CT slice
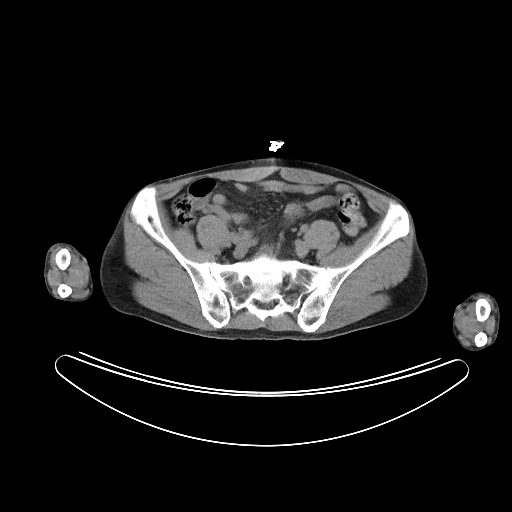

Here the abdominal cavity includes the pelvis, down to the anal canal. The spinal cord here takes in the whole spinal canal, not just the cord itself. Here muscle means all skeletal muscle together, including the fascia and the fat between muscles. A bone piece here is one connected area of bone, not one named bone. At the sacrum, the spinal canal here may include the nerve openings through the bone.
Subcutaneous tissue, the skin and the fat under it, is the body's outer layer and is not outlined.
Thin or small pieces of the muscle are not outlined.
The muscle appears in 6 outlined pieces: piece 1: 272 166; 309 169; 347 179; 393 199; 389 201; 376 232; 353 260; 340 266; 322 266; 319 265; 317 250; 306 243; 303 238; 313 221; 324 219; 333 222; 339 231; 337 243; 351 245; 378 219; 378 214; 370 207; 366 198; 355 187; 343 181; 287 182; 282 179; 281 172; 278 170; 249 182; 237 182; 215 176; 195 178; 186 183; 175 194; 163 202; 170 226; 176 230; 187 230; 191 232; 199 248; 201 245; 197 239; 196 226; 203 216; 212 215; 221 219; 225 222; 229 231; 229 241; 227 244; 213 254; 216 260; 196 261; 185 256; 166 233; 159 214; 156 199; 157 189; 152 185; 168 183; 190 176; 223 170; piece 2: 132 202; 129 214; 133 221; 156 242; 168 250; 186 271; 197 296; 202 316; 215 329; 220 329; 204 330; 194 327; 150 309; 142 305; 135 299; 132 294; 132 283; 134 279; 138 277; 138 275; 125 262; 123 238; 123 220; 125 213; piece 3: 410 219; 413 229; 413 251; 412 252; 411 267; 407 276; 396 286; 391 288; 388 291; 391 297; 391 302; 385 308; 339 328; 320 333; 313 333; 326 321; 329 309; 342 283; 354 270; 368 258; 371 257; 394 241; 405 237; 410 230; piece 4: 57 246; 62 246; 54 256; 55 264; 60 270; 65 270; 71 262; 71 253; 66 247; 69 247; 84 263; 88 273; 85 296; 81 298; 68 297; 73 290; 64 282; 61 282; 56 288; 59 296; 53 293; 47 274; 50 268; 51 253; piece 5: 242 309; 245 309; 248 314; 255 316; 261 321; 264 321; 268 317; 276 318; 282 316; 285 313; 291 314; 296 310; 298 310; 296 314; 296 323; 303 332; 293 330; 273 331; 263 327; 255 329; 222 328; 229 322; 232 311; 235 313; piece 6: 478 295; 484 295; 490 298; 493 303; 495 317; 494 330; 489 342; 487 343; 488 341; 487 334; 483 330; 480 330; 473 337; 474 345; 465 345; 460 338; 460 332; 456 326; 456 316; 460 309; 465 308; 467 304; 472 302; 474 298 with a hole at 478 298; 485 298; 487 300; 487 301; 488 302; 488 303; 490 306; 490 313; 489 314; 488 317; 484 321; 482 321; 481 322; 480 321; 478 321; 477 320; 477 318; 476 317; 476 314; 475 313; 475 303; 476 302; 476 300. The spinal cord appears in 3 outlined pieces: piece 1: 257 302; 258 302; 259 303; 269 303; 270 302; 273 302; 273 306; 271 308; 269 308; 268 309; 266 309; 265 308; 262 308; 261 307; 259 307; 258 306; 258 305; 257 304; piece 2: 285 276; 287 276; 288 277; 289 277; 289 278; 290 279; 290 280; 289 281; 289 282; 288 283; 288 284; 287 284; 286 285; 285 285; 284 284; 283 284; 283 283; 282 282; 282 279; 283 278; 283 277; 284 277; piece 3: 246 277; 247 277; 248 278; 249 278; 249 279; 250 280; 250 281; 249 282; 249 283; 248 283; 247 284; 246 284; 245 283; 244 283; 244 282; 243 281; 243 280; 244 279; 244 278; 245 278. The bones appear in 5 outlined pieces: piece 1: 150 185; 165 233; 196 262; 231 264; 264 252; 322 267; 344 266; 371 241; 391 200; 407 211; 409 230; 348 275; 315 331; 298 325; 298 309; 264 320; 245 308; 232 310; 228 322; 215 328; 202 314; 187 271; 130 214; 137 193; inner edges: 257 302; 258 302; 259 303; 269 303; 270 302; 273 302; 273 306; 271 308; 269 308; 268 309; 266 309; 265 308; 262 308; 261 307; 259 307; 258 306; 258 305; 257 304, then 285 276; 287 276; 288 277; 289 277; 289 278; 290 279; 290 280; 289 281; 289 282; 288 283; 288 284; 287 284; 286 285; 285 285; 284 284; 283 284; 283 283; 282 282; 282 279; 283 278; 283 277; 284 277; piece 2: 478 298; 485 298; 487 300; 487 301; 488 302; 488 303; 490 306; 490 313; 489 314; 488 317; 484 321; 482 321; 481 322; 480 321; 478 321; 477 320; 477 318; 476 317; 476 314; 475 313; 475 303; 476 302; 476 300; piece 3: 63 247; 65 247; 69 251; 69 252; 70 253; 70 262; 69 263; 69 264; 68 265; 68 266; 65 269; 64 269; 63 270; 62 270; 61 269; 60 269; 56 264; 56 262; 55 261; 55 256; 56 255; 56 253; 61 248; 62 248; piece 4: 480 331; 483 331; 486 334; 486 335; 487 336; 487 341; 486 342; 486 343; 484 345; 483 345; 482 346; 476 346; 475 345; 475 343; 474 342; 474 337; 475 336; 475 335; 478 332; 479 332; piece 5: 61 283; 64 283; 65 284; 66 284; 67 285; 68 285; 71 288; 71 289; 72 290; 71 291; 71 293; 67 297; 65 297; 64 298; 62 298; 61 297; 60 297; 60 296; 59 295; 59 294; 57 291; 57 288; 58 287; 58 286. The left arm is outlined by 477 291; 485 291; 491 294; 496 299; 499 306; 499 312; 500 313; 499 329; 498 330; 497 337; 495 341; 491 345; 478 351; 468 351; 464 349; 460 345; 459 342; 453 335; 453 333; 452 332; 452 316; 456 305; 464 300; 469 295. The right arm is outlined by 62 241; 63 242; 68 242; 72 244; 86 258; 90 267; 91 276; 93 281; 93 291; 90 297; 84 301; 80 302; 66 302; 58 300; 50 295; 46 289; 43 276; 44 261; 45 260; 46 252; 48 248; 52 244; 56 242; 61 242. The torso is outlined by 266 156; 296 157; 330 164; 395 194; 403 201; 413 216; 418 242; 428 270; 427 293; 417 309; 401 319; 330 339; 227 340; 202 337; 174 330; 134 315; 121 313; 106 302; 99 283; 101 255; 124 206; 134 193; 154 180; 224 162. The abdominal cavity is outlined by 277 171; 287 183; 349 184; 377 214; 351 244; 338 243; 333 221; 313 220; 302 238; 316 250; 318 265; 264 251; 222 263; 214 254; 228 244; 230 231; 221 218; 199 218; 200 247; 191 231; 171 226; 164 202; 191 181; 249 183.